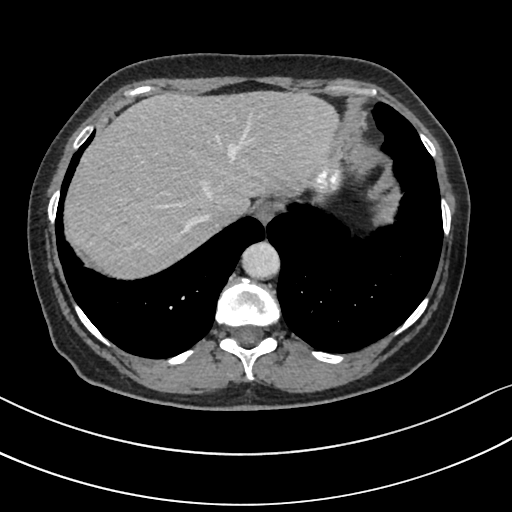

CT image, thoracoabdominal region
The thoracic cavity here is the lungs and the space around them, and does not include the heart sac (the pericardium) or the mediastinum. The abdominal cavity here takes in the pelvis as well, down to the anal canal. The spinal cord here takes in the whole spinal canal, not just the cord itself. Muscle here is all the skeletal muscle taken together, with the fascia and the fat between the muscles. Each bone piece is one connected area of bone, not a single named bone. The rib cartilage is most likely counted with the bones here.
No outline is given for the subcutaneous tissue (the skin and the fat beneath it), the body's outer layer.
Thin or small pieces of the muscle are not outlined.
The abdominal cavity is outlined by 247 81; 377 101; 371 115; 383 134; 381 149; 392 158; 403 191; 394 222; 363 237; 352 236; 329 213; 307 204; 287 208; 266 202; 152 275; 123 280; 85 267; 64 237; 62 218; 68 187; 96 127; 144 94; 174 90; 197 94. The mediastinum is outlined by 266 203; 276 204; 287 209; 285 212; 275 215; 266 226; 268 241; 275 248; 280 258; 275 299; 264 288; 248 282; 238 282; 227 288; 225 287; 228 277; 233 272; 242 252; 251 244; 264 238; 265 232; 262 224; 250 214; 257 206. The bones appear in 11 outlined pieces: piece 1: 238 283; 248 283; 264 289; 274 300; 277 299; 281 314; 280 319; 267 328; 267 333; 276 339; 277 346; 255 360; 252 366; 254 379; 250 381; 245 377; 241 360; 219 346; 220 340; 228 333; 228 328; 215 321; 217 302; 223 288; inner edge: 245 325; 253 325; 254 326; 261 327; 263 329; 263 337; 257 344; 251 347; 245 347; 244 346; 242 346; 240 345; 237 342; 237 341; 234 338; 233 336; 233 332; 234 331; 234 328; 236 327; 238 327; 239 326; 244 326; piece 2: 334 84; 342 84; 343 85; 346 85; 351 87; 356 87; 357 88; 374 88; 377 91; 377 94; 376 96; 374 97; 364 97; 359 95; 352 95; 351 94; 344 93; 343 92; 327 91; 325 89; 325 87; 328 85; 333 85; piece 3: 74 302; 76 302; 76 303; 81 308; 83 312; 87 316; 87 317; 90 320; 90 321; 111 343; 111 345; 110 346; 107 346; 105 344; 101 342; 97 338; 96 338; 85 327; 85 326; 79 319; 74 309; 74 307; 73 306; 73 303; piece 4: 426 296; 427 296; 429 298; 429 301; 427 304; 427 306; 426 308; 424 310; 422 314; 409 327; 408 327; 405 330; 404 330; 399 334; 397 335; 394 335; 393 334; 393 332; 405 321; 405 320; 417 307; 417 306; 420 303; 420 302; piece 5: 441 197; 444 197; 446 199; 446 200; 449 205; 449 207; 450 208; 450 212; 451 213; 451 221; 450 222; 450 226; 449 227; 449 232; 448 233; 448 234; 446 236; 444 236; 444 235; 443 234; 443 228; 442 227; 442 216; 441 215; piece 6: 311 350; 317 350; 318 351; 322 351; 323 352; 326 352; 327 353; 332 353; 333 354; 342 354; 344 356; 344 359; 342 361; 341 361; 338 363; 329 363; 328 362; 324 362; 323 361; 320 361; 319 360; 316 359; 310 353; 310 351; piece 7: 57 188; 60 188; 60 192; 59 193; 59 198; 58 199; 58 202; 57 203; 57 209; 56 210; 56 214; 55 215; 55 221; 54 222; 54 224; 51 224; 48 219; 47 208; 48 207; 48 203; 49 202; 49 199; 52 195; 53 192; piece 8: 89 124; 96 124; 97 126; 95 127; 95 129; 93 130; 93 131; 88 136; 88 137; 84 141; 84 142; 76 150; 74 150; 72 147; 72 144; 75 138; 78 135; 78 134; 81 131; 81 130; 85 126; piece 9: 142 85; 151 85; 152 86; 154 86; 156 87; 156 89; 155 90; 152 90; 149 92; 146 92; 142 94; 139 94; 135 96; 130 96; 129 97; 125 97; 123 95; 123 92; 125 90; 132 89; 133 88; 135 88; 138 86; 141 86; piece 10: 191 348; 195 348; 195 350; 194 351; 194 352; 191 355; 190 355; 184 362; 183 362; 182 363; 178 363; 177 364; 168 364; 165 361; 167 358; 169 358; 170 357; 172 357; 175 355; 177 355; 178 354; 179 354; 188 349; 190 349; piece 11: 419 132; 421 132; 422 133; 423 133; 432 142; 432 143; 435 148; 435 152; 436 153; 436 156; 434 158; 433 158; 430 155; 430 154; 428 152; 428 151; 424 146; 424 145; 423 144; 423 143; 419 136; 419 134; 418 133. The thoracic cavity appears in 2 outlined pieces: piece 1: 378 101; 413 126; 433 160; 443 235; 439 259; 426 295; 393 331; 353 351; 327 352; 314 349; 281 319; 277 298; 281 258; 269 241; 267 226; 292 204; 329 214; 352 237; 363 238; 395 222; 404 191; 372 115; piece 2: 94 130; 67 187; 61 218; 63 237; 85 268; 116 280; 139 280; 169 268; 241 218; 250 216; 263 228; 263 238; 241 252; 227 277; 207 334; 192 347; 166 358; 136 355; 111 342; 77 303; 62 269; 55 233; 61 186; 73 154. The torso is outlined by 190 52; 319 53; 373 61; 396 73; 445 128; 458 151; 469 190; 467 255; 446 333; 434 353; 412 373; 381 388; 328 403; 198 410; 152 403; 93 385; 57 352; 37 297; 27 248; 28 201; 40 162; 64 123; 109 74; 139 60. The spinal cord is outlined by 245 325; 253 325; 254 326; 261 327; 263 329; 263 337; 257 344; 251 347; 245 347; 244 346; 242 346; 240 345; 237 342; 237 341; 234 338; 233 336; 233 332; 234 331; 234 328; 236 327; 238 327; 239 326; 244 326. The muscle is outlined by 214 76; 340 77; 371 82; 411 110; 438 141; 456 204; 444 291; 426 324; 368 374; 339 386; 297 393; 251 381; 255 379; 253 366; 256 360; 278 346; 268 328; 280 320; 313 349; 309 353; 316 360; 338 364; 345 359; 343 354; 364 348; 392 332; 394 336; 399 335; 428 306; 430 298; 427 294; 438 267; 443 237; 450 232; 451 208; 447 199; 440 195; 433 142; 423 132; 418 132; 394 107; 370 98; 378 94; 374 87; 328 84; 324 87; 327 92; 343 93; 334 94; 247 80; 194 93; 177 89; 150 92; 157 87; 142 84; 122 92; 125 98; 142 95; 108 115; 101 123; 85 125; 71 144; 75 151; 60 187; 48 199; 46 213; 49 223; 54 225; 58 259; 75 301; 72 306; 78 319; 107 347; 112 343; 136 356; 165 359; 168 365; 184 363; 215 322; 227 328; 218 346; 240 360; 248 382; 231 382; 226 387; 201 394; 149 388; 97 354; 62 313; 47 267; 45 206; 46 191; 69 137; 106 98; 128 83; 150 78.